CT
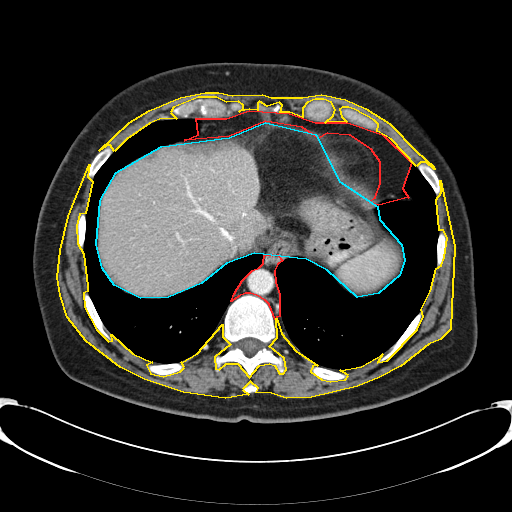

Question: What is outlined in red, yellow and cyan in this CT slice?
Answer: red: mediastinum; yellow: muscle; cyan: abdominal cavity.
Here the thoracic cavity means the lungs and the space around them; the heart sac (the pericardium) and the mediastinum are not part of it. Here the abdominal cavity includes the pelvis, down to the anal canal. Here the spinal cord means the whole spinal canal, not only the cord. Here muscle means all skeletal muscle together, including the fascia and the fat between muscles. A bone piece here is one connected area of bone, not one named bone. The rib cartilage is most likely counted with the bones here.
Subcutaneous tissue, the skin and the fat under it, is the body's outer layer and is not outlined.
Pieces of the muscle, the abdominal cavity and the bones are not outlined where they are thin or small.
The mediastinum appears in 2 outlined pieces: piece 1: [[249,110],[289,113],[315,122],[347,122],[382,134],[411,162],[402,188],[408,197],[378,205],[368,201],[375,197],[380,183],[380,162],[371,149],[350,135],[327,133],[318,138],[302,127],[265,121],[229,136],[184,140],[198,134],[196,118],[226,118]]; piece 2: [[264,254],[271,254],[272,255],[277,254],[282,260],[277,264],[274,270],[275,282],[279,294],[279,316],[276,317],[275,319],[269,304],[265,300],[256,295],[250,293],[245,293],[238,296],[231,301],[234,293],[242,280],[252,270],[259,267],[263,263]]. The muscle appears in 2 outlined pieces: piece 1: [[89,164],[87,176],[92,181],[85,213],[79,214],[76,225],[77,243],[83,253],[87,286],[87,291],[83,293],[84,307],[96,329],[108,341],[112,340],[111,334],[132,353],[152,362],[146,365],[150,373],[163,376],[180,371],[184,367],[181,362],[197,353],[222,324],[222,336],[230,344],[214,357],[215,368],[219,369],[226,363],[237,363],[249,377],[259,365],[269,363],[274,365],[279,373],[283,373],[286,369],[284,358],[269,346],[277,337],[276,318],[281,333],[295,350],[317,365],[312,366],[310,371],[321,379],[330,381],[345,379],[348,375],[340,370],[361,366],[382,354],[377,362],[387,360],[417,329],[423,316],[421,309],[430,291],[436,268],[441,265],[444,257],[447,237],[443,230],[439,230],[436,199],[441,192],[440,180],[454,246],[450,329],[440,339],[428,344],[400,366],[379,377],[357,386],[311,397],[286,398],[271,393],[256,392],[258,388],[250,381],[242,389],[248,394],[225,398],[183,392],[144,379],[120,367],[86,341],[67,317],[60,295],[57,277],[60,250],[68,216]]; piece 2: [[205,92],[218,92],[232,95],[262,94],[271,97],[302,97],[321,94],[345,99],[365,108],[389,123],[416,151],[433,166],[434,169],[426,162],[420,162],[416,166],[391,139],[377,131],[378,124],[374,120],[354,109],[348,107],[342,107],[339,109],[341,116],[346,121],[325,122],[333,115],[335,109],[331,102],[323,99],[315,99],[307,102],[302,108],[302,117],[289,112],[280,112],[282,105],[279,102],[267,106],[259,101],[257,103],[257,110],[249,109],[239,111],[243,108],[243,105],[238,101],[226,102],[216,97],[198,97],[173,107],[170,112],[176,118],[159,119],[149,123],[126,139],[114,151],[110,145],[107,145],[99,150],[129,122],[149,110],[180,97]]. The abdominal cavity is outlined by [[265,122],[315,134],[339,181],[377,206],[379,219],[401,244],[404,260],[399,275],[378,293],[357,297],[327,270],[306,259],[254,253],[226,263],[201,283],[168,297],[140,298],[114,285],[102,268],[96,244],[100,200],[116,172],[161,146],[229,137]]. The thoracic cavity appears in 2 outlined pieces: piece 1: [[412,164],[435,195],[438,217],[435,270],[425,301],[395,342],[377,357],[347,369],[318,365],[296,350],[281,331],[276,267],[287,258],[301,258],[327,271],[354,297],[378,294],[400,275],[405,252],[376,210],[387,200],[409,197],[403,188]]; piece 2: [[177,118],[197,119],[197,134],[130,161],[101,194],[95,246],[103,272],[122,292],[157,300],[201,284],[236,260],[261,254],[263,261],[238,284],[222,323],[197,352],[179,362],[156,363],[112,335],[88,292],[86,209],[93,179],[110,156],[149,124]]. The torso is outlined by [[223,61],[295,64],[341,73],[391,95],[425,127],[455,174],[471,230],[478,336],[474,355],[462,371],[382,406],[314,420],[259,423],[216,421],[144,407],[81,384],[60,369],[46,337],[32,274],[37,217],[60,161],[92,115],[125,87],[167,69]]. The pericardium is outlined by [[327,134],[342,134],[343,135],[350,136],[357,139],[373,152],[379,162],[379,168],[378,169],[379,172],[379,183],[374,197],[372,199],[366,201],[360,198],[352,191],[348,189],[340,181],[338,176],[333,170],[325,153],[318,142],[319,136],[322,136]]. The spinal cord is outlined by [[244,338],[255,338],[256,339],[259,340],[262,343],[263,343],[263,346],[254,354],[253,354],[251,356],[248,356],[247,355],[246,355],[244,353],[244,352],[237,346],[237,345],[236,344],[237,343],[237,342],[238,342],[240,340],[241,340]]. The bones appear in 12 outlined pieces: piece 1: [[245,294],[262,299],[272,312],[276,337],[268,346],[276,355],[283,358],[285,366],[283,372],[279,372],[277,367],[269,362],[259,364],[249,376],[237,362],[226,362],[219,368],[215,367],[215,357],[222,354],[231,344],[223,336],[225,312],[231,302]] with a hole at [[244,338],[255,338],[256,339],[259,340],[262,343],[263,343],[263,346],[254,354],[253,354],[251,356],[248,356],[247,355],[246,355],[244,353],[244,352],[237,346],[237,345],[236,344],[237,343],[237,342],[238,342],[240,340],[241,340]]; piece 2: [[198,98],[216,98],[226,103],[229,103],[230,102],[238,102],[242,105],[242,108],[238,111],[232,112],[229,116],[226,117],[204,118],[197,112],[193,113],[189,117],[185,117],[184,118],[182,117],[176,117],[171,112],[173,108],[183,103],[192,101]]; piece 3: [[315,100],[323,100],[324,101],[326,101],[327,102],[331,103],[331,104],[333,106],[334,110],[333,111],[332,115],[325,121],[315,121],[314,120],[311,120],[304,117],[304,111],[303,110],[304,106],[307,103],[311,102],[312,101],[314,101]]; piece 4: [[420,310],[422,310],[422,316],[419,321],[419,323],[416,329],[409,338],[409,339],[393,355],[381,362],[378,362],[379,359],[384,354],[385,354],[390,348],[390,347],[396,342],[396,341],[404,332],[406,328],[409,325],[415,316],[420,311]]; piece 5: [[342,108],[348,108],[349,109],[354,110],[362,114],[364,116],[369,118],[371,120],[374,121],[377,124],[377,130],[375,131],[374,130],[367,129],[359,125],[356,125],[353,123],[350,123],[348,122],[342,116],[340,112],[340,109]]; piece 6: [[85,292],[87,292],[88,293],[93,303],[93,305],[100,319],[102,321],[105,327],[110,333],[111,340],[108,340],[97,329],[97,328],[91,320],[86,310],[86,308],[85,307],[85,304],[84,303],[84,293]]; piece 7: [[107,146],[110,146],[113,149],[113,152],[104,162],[104,163],[99,168],[99,169],[94,175],[93,178],[91,178],[90,177],[89,177],[88,176],[88,169],[89,168],[89,166],[90,165],[93,158],[100,150],[103,149],[105,147],[106,147]]; piece 8: [[420,163],[426,163],[428,164],[434,170],[434,171],[436,173],[438,177],[438,179],[439,180],[439,185],[440,186],[440,192],[438,195],[436,195],[435,194],[433,189],[431,187],[429,183],[426,180],[426,179],[418,169],[417,167],[417,165]]; piece 9: [[178,362],[179,363],[180,362],[183,365],[183,367],[180,370],[173,372],[172,373],[170,373],[169,374],[160,375],[159,374],[156,374],[155,373],[150,372],[147,369],[147,365],[148,364],[153,364],[154,363],[156,364],[169,364],[170,363],[177,363]]; piece 10: [[315,366],[321,366],[325,368],[328,368],[329,369],[332,369],[333,370],[337,370],[343,373],[345,373],[347,375],[347,376],[345,378],[339,379],[338,380],[330,380],[329,379],[324,379],[323,378],[321,378],[317,376],[311,371],[311,368]]; piece 11: [[441,231],[443,231],[445,233],[445,236],[446,237],[446,244],[445,245],[445,249],[444,250],[444,253],[443,254],[443,257],[442,258],[441,263],[438,267],[436,267],[436,248],[437,247],[437,241],[438,240],[438,236],[439,235],[439,233]]; piece 12: [[81,213],[84,213],[85,214],[85,239],[84,240],[84,243],[83,244],[83,248],[82,249],[79,246],[79,244],[78,243],[78,229],[77,228],[77,225],[78,224],[78,219],[79,218],[79,217],[80,216],[80,214]].